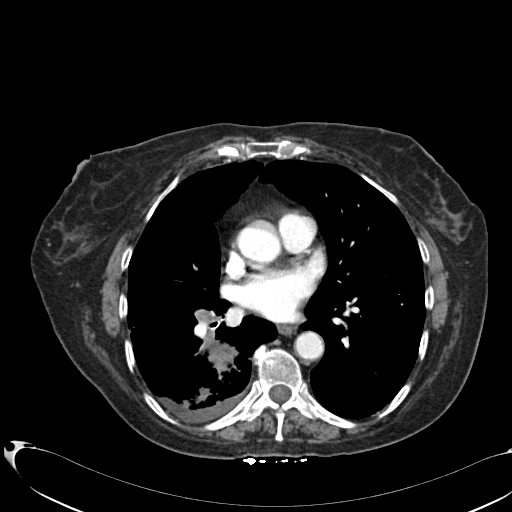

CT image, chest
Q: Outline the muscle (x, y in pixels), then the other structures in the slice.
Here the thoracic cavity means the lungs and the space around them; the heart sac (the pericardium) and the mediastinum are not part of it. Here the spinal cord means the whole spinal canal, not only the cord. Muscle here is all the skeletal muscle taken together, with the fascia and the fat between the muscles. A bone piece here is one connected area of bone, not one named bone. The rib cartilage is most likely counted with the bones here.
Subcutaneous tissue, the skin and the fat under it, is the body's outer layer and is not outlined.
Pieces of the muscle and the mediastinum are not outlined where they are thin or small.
A: {"muscle":[[[238,135],[257,140],[223,143],[207,150],[206,158],[223,158],[197,166],[181,180],[182,173],[178,172],[159,193],[144,216],[145,226],[135,246],[129,244],[121,254],[120,271],[127,270],[127,291],[126,295],[121,292],[118,297],[118,316],[121,320],[126,318],[130,330],[130,339],[123,341],[127,368],[132,374],[136,367],[139,371],[150,393],[144,391],[143,400],[160,418],[178,427],[182,425],[180,422],[204,424],[203,431],[216,431],[238,421],[251,422],[267,408],[274,412],[274,440],[259,442],[251,439],[225,445],[180,436],[155,422],[88,348],[82,322],[89,322],[96,330],[103,325],[100,319],[102,275],[115,245],[148,202],[158,179],[190,151],[224,136]],[[398,198],[426,229],[438,248],[444,269],[448,273],[449,306],[447,319],[451,316],[455,301],[459,300],[462,303],[463,314],[458,337],[453,349],[436,378],[415,403],[397,420],[374,434],[340,442],[309,443],[283,441],[282,427],[285,413],[292,408],[311,420],[319,419],[342,429],[353,429],[358,426],[358,423],[352,420],[367,418],[376,413],[376,419],[381,419],[397,408],[411,390],[412,382],[410,380],[407,381],[407,379],[416,360],[422,361],[428,348],[429,330],[424,328],[424,322],[426,310],[430,311],[434,305],[434,288],[430,283],[425,286],[424,281],[423,264],[428,266],[430,263],[428,247],[420,236],[416,237],[414,235],[408,222],[398,208],[400,204]],[[281,135],[306,137],[336,150],[347,153],[356,161],[360,162],[377,175],[390,188],[392,192],[361,171],[358,174],[343,165],[328,161],[311,159],[311,158],[307,155],[304,156],[304,155],[311,155],[313,153],[313,150],[302,142],[297,142],[290,139],[271,140],[274,137]]],"thoracic_cavity":[[[297,156],[347,168],[407,222],[425,287],[417,358],[367,417],[315,398],[304,377],[326,344],[301,325],[327,269],[325,241],[312,213],[258,174],[214,221],[219,292],[276,335],[254,350],[256,376],[232,409],[180,421],[136,365],[134,248],[197,167]]],"bones":[{"outer":[[262,344],[291,354],[314,398],[328,411],[356,422],[357,426],[342,428],[319,418],[311,419],[292,407],[284,413],[283,439],[277,441],[275,412],[267,407],[251,421],[238,420],[216,430],[203,430],[205,424],[228,413],[248,393],[257,376],[252,357]],"hole":[[276,385],[283,385],[284,386],[285,386],[286,387],[287,387],[290,390],[290,396],[285,401],[284,401],[281,403],[278,403],[277,402],[276,402],[275,401],[274,401],[270,397],[270,396],[269,395],[269,392],[270,391],[270,389],[272,387],[273,387]]},[[281,140],[290,140],[293,142],[302,143],[310,148],[312,150],[312,153],[304,154],[303,156],[297,155],[292,158],[279,159],[271,155],[259,155],[246,160],[240,160],[224,157],[208,158],[205,155],[207,151],[223,144],[232,144],[236,142],[280,141]],[[408,381],[410,381],[411,382],[411,387],[410,388],[409,392],[404,398],[404,399],[397,406],[397,407],[396,407],[391,412],[383,416],[381,418],[377,419],[377,413],[381,411],[391,401],[391,400],[396,395],[396,394],[404,385],[404,384]],[[144,392],[147,392],[149,394],[150,394],[161,406],[161,407],[172,418],[177,420],[181,425],[180,426],[178,426],[175,424],[170,423],[168,421],[160,417],[155,412],[154,412],[154,411],[146,403],[146,402],[144,400],[144,398],[143,397],[143,393]],[[180,172],[181,173],[181,175],[180,176],[180,181],[175,186],[175,187],[173,188],[160,201],[160,202],[155,208],[152,215],[150,217],[148,221],[146,223],[145,223],[144,222],[144,219],[149,209],[157,199],[160,193],[170,183],[173,178],[178,173]],[[361,172],[365,174],[368,177],[371,178],[376,183],[377,183],[382,187],[385,188],[388,191],[395,195],[395,196],[399,201],[399,204],[398,206],[393,203],[378,189],[377,189],[374,186],[370,184],[362,177],[361,177],[359,175],[359,173]],[[125,339],[129,339],[131,342],[131,345],[132,346],[132,351],[133,352],[133,355],[134,356],[134,359],[135,360],[135,365],[136,366],[134,368],[134,371],[132,373],[129,370],[128,366],[127,365],[127,363],[126,362],[125,352],[124,351],[124,341]],[[424,329],[427,329],[428,330],[428,343],[427,344],[427,348],[426,349],[426,351],[425,352],[425,355],[424,356],[423,359],[420,361],[418,359],[418,350],[419,349],[419,344],[420,343],[420,340],[421,339],[421,336],[422,335],[422,332]],[[417,237],[420,237],[424,241],[427,247],[427,249],[429,253],[429,263],[428,265],[427,264],[425,264],[423,263],[423,261],[421,257],[421,253],[419,249],[419,246],[418,245],[418,243],[416,239]],[[129,245],[131,245],[133,247],[133,250],[132,251],[132,253],[131,254],[131,256],[130,257],[130,259],[129,260],[129,262],[128,263],[128,266],[127,267],[127,269],[124,271],[121,271],[121,258],[122,257],[122,254],[123,253],[124,250]],[[430,284],[432,286],[432,287],[433,288],[433,305],[432,306],[432,308],[430,310],[427,310],[425,308],[425,288],[428,285],[429,285]],[[121,293],[123,293],[126,296],[126,298],[127,299],[127,314],[126,315],[126,317],[125,318],[124,318],[123,319],[121,319],[120,318],[120,317],[119,316],[119,297],[120,296],[120,294]]],"pericardium":[[[266,199],[273,199],[291,207],[308,210],[315,219],[319,233],[325,245],[327,265],[323,277],[317,289],[306,304],[301,315],[292,321],[273,321],[255,313],[241,309],[231,301],[223,297],[220,292],[221,257],[228,236],[232,228],[248,212],[254,209]]],"spinal_cord":[[[276,385],[283,385],[284,386],[285,386],[286,387],[287,387],[290,390],[290,396],[285,401],[284,401],[281,403],[278,403],[277,402],[276,402],[275,401],[274,401],[270,397],[270,396],[269,395],[269,392],[270,391],[270,389],[272,387],[273,387]]],"torso":[[[296,121],[376,126],[408,134],[480,207],[488,232],[488,295],[469,375],[455,400],[433,423],[400,441],[367,451],[327,457],[215,459],[161,447],[120,418],[72,363],[54,333],[29,263],[38,226],[70,182],[77,164],[92,153],[206,123],[268,126]]],"mediastinum":[[[303,312],[304,315],[302,318],[300,328],[302,330],[311,330],[319,334],[325,344],[323,355],[321,359],[310,371],[308,377],[303,375],[300,364],[291,353],[280,347],[268,348],[265,344],[272,341],[277,335],[277,330],[273,322],[292,322],[299,318]],[[258,175],[258,180],[261,183],[272,183],[274,184],[286,196],[290,199],[295,200],[302,204],[307,209],[291,206],[273,198],[266,198],[254,208],[248,211],[231,228],[222,248],[221,256],[219,237],[215,221],[229,206],[234,204],[238,200],[239,196]]]}